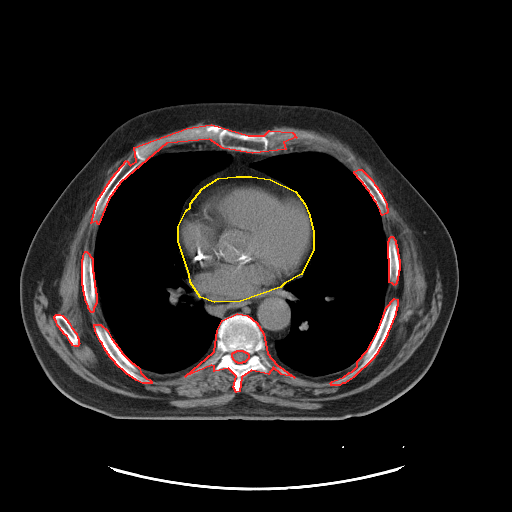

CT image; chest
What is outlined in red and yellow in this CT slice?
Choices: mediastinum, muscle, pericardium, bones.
red: bones; yellow: pericardium.
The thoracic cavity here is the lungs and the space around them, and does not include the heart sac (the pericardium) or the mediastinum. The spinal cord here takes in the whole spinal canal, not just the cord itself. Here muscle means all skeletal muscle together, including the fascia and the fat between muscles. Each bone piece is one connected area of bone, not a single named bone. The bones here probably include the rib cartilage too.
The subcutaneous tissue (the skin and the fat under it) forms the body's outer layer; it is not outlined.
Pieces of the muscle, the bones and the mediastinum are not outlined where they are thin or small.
{"bones":[[[211,124],[248,135],[264,135],[269,130],[292,132],[296,137],[283,142],[285,149],[252,153],[223,148],[209,139],[166,143],[120,182],[108,199],[98,224],[96,221],[91,223],[97,200],[112,177],[126,160],[130,165],[136,161],[134,147],[186,128]],{"outer":[[237,313],[247,315],[256,322],[263,333],[267,353],[276,364],[294,377],[281,374],[273,367],[268,374],[251,370],[241,377],[239,391],[236,392],[233,387],[236,376],[228,368],[214,371],[214,366],[211,365],[185,376],[214,351],[217,330],[222,320]],"hole":[[237,350],[242,350],[243,351],[244,351],[245,352],[246,352],[248,354],[248,358],[244,362],[242,362],[241,363],[238,363],[237,362],[236,362],[233,359],[233,358],[232,357],[232,353],[233,352],[234,352],[235,351],[236,351]]},[[394,298],[397,299],[397,306],[396,307],[395,314],[387,333],[387,335],[376,354],[372,359],[353,377],[344,383],[342,383],[339,385],[331,385],[330,383],[332,381],[344,376],[349,372],[352,371],[357,366],[357,361],[367,350],[378,330],[386,307]],[[94,324],[100,324],[107,330],[111,338],[121,351],[121,352],[132,363],[133,363],[139,368],[140,372],[146,378],[149,379],[151,381],[151,383],[142,383],[136,380],[126,373],[115,363],[115,362],[110,357],[104,348],[102,343],[100,341],[95,331]],[[85,251],[86,251],[92,258],[92,271],[93,272],[94,286],[95,287],[95,292],[96,293],[96,303],[93,308],[93,311],[92,312],[91,312],[88,308],[88,306],[85,299],[84,292],[83,291],[83,286],[82,285],[82,259],[83,258],[83,255]],[[358,169],[361,169],[372,180],[374,184],[377,187],[377,188],[381,193],[386,204],[386,207],[387,208],[387,212],[386,213],[382,215],[381,214],[380,210],[376,202],[374,200],[373,197],[371,195],[369,191],[366,188],[366,187],[354,173],[354,171]],[[391,236],[392,236],[395,240],[395,243],[396,244],[396,247],[397,248],[397,253],[398,254],[398,258],[399,259],[399,270],[398,271],[397,280],[396,281],[396,283],[394,285],[392,283],[389,282],[389,259],[388,258],[388,241],[389,240],[389,238]],[[56,314],[60,314],[62,315],[67,320],[67,321],[69,323],[71,327],[76,333],[77,337],[78,338],[78,342],[79,343],[77,346],[74,346],[72,345],[72,344],[70,342],[67,336],[63,333],[63,332],[57,325],[56,321],[54,318],[54,316]]],"pericardium":[[[236,176],[251,176],[270,179],[295,191],[304,203],[309,215],[313,232],[313,249],[301,274],[284,283],[280,287],[240,301],[214,302],[200,297],[190,282],[189,274],[178,241],[178,226],[186,210],[190,207],[190,203],[202,188],[218,178]]],"spinal_cord":[[[237,350],[242,350],[243,351],[244,351],[245,352],[246,352],[248,354],[248,358],[244,362],[242,362],[241,363],[238,363],[237,362],[236,362],[233,359],[233,358],[232,357],[232,353],[233,352],[234,352],[235,351],[236,351]]],"muscle":[{"outer":[[200,122],[210,124],[186,127],[134,146],[135,161],[130,164],[126,159],[120,165],[93,207],[90,223],[96,222],[97,229],[92,257],[86,250],[82,255],[81,285],[88,310],[92,313],[97,300],[99,304],[107,329],[100,323],[94,323],[93,328],[109,357],[142,384],[152,381],[140,369],[170,374],[195,366],[185,377],[211,366],[214,372],[228,369],[235,376],[232,387],[238,393],[242,377],[251,371],[268,375],[273,368],[294,378],[287,368],[317,377],[335,374],[356,362],[352,370],[329,383],[339,386],[377,354],[398,306],[396,297],[386,306],[388,285],[397,283],[400,270],[396,240],[391,235],[387,241],[384,232],[386,201],[361,168],[353,172],[325,151],[280,151],[288,147],[286,140],[297,135],[270,129],[286,126],[334,137],[363,159],[412,230],[427,287],[434,286],[437,263],[442,287],[440,313],[422,343],[397,369],[343,401],[315,409],[267,403],[245,393],[220,405],[184,408],[91,383],[49,345],[35,320],[34,295],[41,282],[49,304],[58,302],[68,244],[108,169],[145,138]],"hole":[[56,314],[60,314],[62,315],[67,320],[67,321],[69,323],[71,327],[76,333],[77,337],[78,338],[78,342],[79,343],[77,346],[74,346],[72,345],[72,344],[70,342],[67,336],[63,333],[63,332],[57,325],[56,321],[54,318],[54,316]]},[[208,140],[212,141],[213,142],[216,142],[221,148],[223,149],[226,149],[183,149],[182,150],[171,150],[170,151],[164,151],[162,150],[153,154],[155,152],[159,150],[163,146],[169,143],[172,143],[173,142],[191,143],[192,142],[207,141]]],"torso":[[[213,101],[315,105],[352,117],[369,131],[447,228],[459,270],[453,313],[429,369],[411,388],[383,407],[365,415],[336,420],[118,419],[76,403],[56,388],[44,373],[27,337],[19,299],[22,265],[42,220],[69,182],[122,123],[140,113],[164,106]]],"thoracic_cavity":[[[162,151],[223,151],[230,157],[191,189],[182,205],[175,232],[186,281],[193,295],[203,302],[209,315],[221,320],[215,334],[215,346],[200,363],[170,373],[142,369],[122,352],[108,331],[97,299],[93,271],[96,234],[109,199],[135,168]],[[308,150],[336,158],[368,191],[381,215],[388,259],[385,308],[370,344],[348,367],[317,376],[285,367],[267,351],[267,346],[273,348],[275,341],[285,338],[291,329],[292,311],[284,288],[301,278],[312,261],[310,215],[291,186],[250,166],[273,156]]],"mediastinum":[[[187,272],[195,293],[200,298],[214,303],[240,302],[255,298],[294,280],[283,288],[287,292],[287,303],[291,311],[288,334],[276,339],[272,347],[266,344],[263,331],[249,315],[237,312],[221,319],[209,314],[204,302],[194,295],[187,281]],[[183,150],[229,150],[259,155],[307,150],[277,154],[250,163],[249,166],[251,168],[261,170],[289,186],[279,181],[259,176],[236,175],[218,177],[197,192],[178,225],[183,205],[192,189],[200,180],[224,166],[231,159],[230,155],[223,150]],[[313,250],[313,253],[312,254],[311,261],[309,265],[307,266],[303,275],[301,277],[295,279],[299,277],[302,274],[302,272],[306,264],[308,263],[311,257],[311,255],[312,254],[312,252]]]}